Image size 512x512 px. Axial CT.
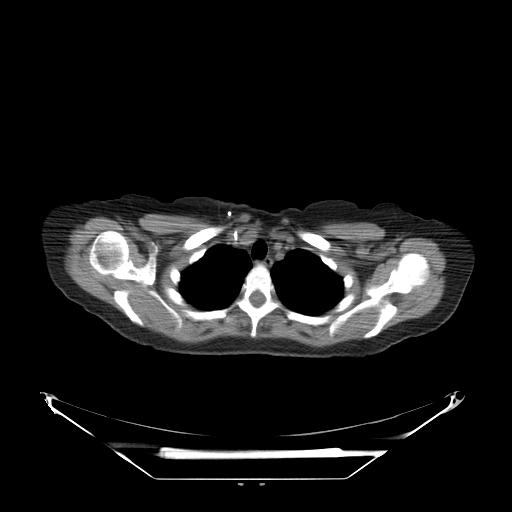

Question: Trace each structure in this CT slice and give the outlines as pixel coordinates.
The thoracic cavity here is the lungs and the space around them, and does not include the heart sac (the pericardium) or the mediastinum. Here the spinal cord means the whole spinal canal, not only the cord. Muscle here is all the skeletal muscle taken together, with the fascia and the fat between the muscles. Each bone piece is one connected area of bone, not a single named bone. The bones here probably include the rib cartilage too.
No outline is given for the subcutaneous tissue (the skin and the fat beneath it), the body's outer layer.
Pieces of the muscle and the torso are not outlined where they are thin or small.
Answer: Outlined structures:
left arm: 412 213; 423 218; 436 218; 439 220; 442 220; 451 223; 465 231; 472 240; 475 250; 475 262; 472 273; 467 283; 464 293; 454 296; 450 296; 449 297; 424 297; 423 296; 415 295; 407 291; 396 280; 391 268; 391 250; 399 229
thoracic cavity 1: 298 247; 306 248; 310 250; 314 254; 317 255; 321 261; 332 271; 342 277; 343 296; 333 307; 326 310; 320 315; 305 314; 290 309; 284 305; 277 295; 276 289; 271 277; 269 269; 273 263; 275 261; 281 259; 289 250
thoracic cavity 2: 219 242; 231 245; 236 248; 244 249; 248 253; 253 265; 245 275; 238 295; 229 305; 217 309; 209 310; 198 309; 197 307; 186 301; 182 294; 178 290; 179 288; 178 285; 181 279; 181 272; 189 265; 191 265; 199 260; 211 246
right arm: 69 198; 78 198; 79 199; 118 198; 128 207; 137 227; 139 235; 139 245; 134 260; 125 269; 110 275; 90 280; 69 280; 57 277; 49 273; 46 270; 39 233; 40 220; 45 209; 51 203; 60 199; 68 199
bones 1: 409 252; 427 259; 430 276; 408 293; 382 298; 380 306; 392 304; 397 311; 369 338; 363 335; 375 324; 378 306; 353 313; 331 336; 329 322; 290 320; 275 308; 258 321; 251 337; 251 319; 238 306; 227 313; 228 320; 194 320; 165 291; 176 289; 191 310; 222 309; 260 263; 285 309; 330 314; 333 320; 341 313; 332 309; 345 295; 354 294; 345 311; 368 299; 365 290; 384 283; inner edge: 255 291; 259 291; 264 296; 264 301; 263 302; 263 303; 262 303; 259 306; 255 306; 254 305; 253 305; 252 304; 252 303; 250 301; 250 296; 251 295; 251 294; 253 292; 254 292
bones 2: 107 230; 117 231; 125 237; 129 248; 129 258; 136 267; 141 267; 147 262; 150 243; 155 244; 157 247; 156 268; 155 279; 152 284; 143 285; 134 280; 118 279; 111 274; 102 275; 92 267; 89 262; 89 251; 92 242; 99 233
bones 3: 215 225; 217 225; 218 226; 222 226; 223 227; 223 230; 219 234; 214 236; 212 238; 204 242; 197 248; 195 248; 192 250; 186 250; 183 248; 183 245; 185 241; 192 234; 208 226; 214 226
bones 4: 116 290; 126 290; 128 291; 128 295; 127 296; 128 301; 131 307; 133 309; 133 310; 138 315; 140 319; 143 322; 143 326; 142 327; 132 322; 124 313; 124 312; 119 306; 119 305; 114 300; 113 298; 113 293; 114 291
bones 5: 300 230; 302 230; 303 231; 309 231; 310 232; 312 232; 313 233; 315 233; 316 234; 319 234; 321 235; 330 243; 330 248; 328 250; 324 252; 320 250; 318 248; 302 240; 297 235; 297 232
bones 6: 150 290; 155 291; 161 297; 161 298; 170 307; 171 307; 179 313; 179 314; 181 317; 181 326; 179 328; 178 328; 177 327; 177 322; 176 321; 175 318; 167 310; 167 309; 154 296; 151 295; 149 293; 149 291
bones 7: 202 248; 206 248; 206 250; 205 251; 205 252; 203 254; 203 255; 199 259; 198 259; 193 263; 192 263; 191 264; 189 264; 188 261; 189 260; 189 257; 191 255; 191 254; 194 251; 195 251; 196 250; 198 250; 199 249; 201 249
bones 8: 321 254; 323 254; 324 255; 325 255; 328 257; 330 257; 336 263; 336 264; 337 265; 337 267; 336 268; 336 270; 335 271; 334 271; 333 270; 332 270; 326 264; 325 264; 322 261; 322 260; 321 259; 321 258; 319 256
bones 9: 172 267; 175 267; 180 272; 180 279; 179 280; 179 282; 178 283; 178 284; 177 285; 175 285; 173 283; 173 282; 171 280; 171 278; 170 277; 170 270; 171 269; 171 268
bones 10: 347 274; 350 274; 352 276; 352 277; 353 278; 353 281; 352 282; 352 284; 351 285; 351 286; 348 289; 347 289; 346 290; 345 290; 344 289; 344 284; 343 283; 343 277; 345 275; 346 275
spinal cord: 255 291; 259 291; 264 296; 264 301; 263 302; 263 303; 262 303; 259 306; 255 306; 254 305; 253 305; 252 304; 252 303; 250 301; 250 296; 251 295; 251 294; 253 292; 254 292
torso: 126 193; 162 201; 207 195; 269 211; 331 198; 367 208; 394 202; 411 213; 390 250; 395 280; 419 297; 463 295; 451 317; 437 329; 360 358; 155 350; 124 338; 68 299; 48 275; 90 281; 121 272; 135 260; 138 227; 118 197
muscle 1: 241 212; 265 219; 287 216; 301 226; 371 222; 386 231; 431 238; 446 257; 443 296; 429 313; 381 331; 398 311; 392 303; 380 305; 383 298; 408 294; 429 280; 431 268; 423 254; 403 253; 384 282; 364 290; 368 298; 345 310; 355 299; 353 292; 344 295; 354 278; 350 273; 338 274; 338 265; 330 256; 272 238; 263 230; 243 230; 207 249; 194 250; 183 270; 172 266; 169 277; 178 288; 168 285; 164 291; 182 307; 183 315; 194 321; 228 321; 228 313; 238 307; 250 319; 250 337; 184 343; 154 332; 143 327; 128 290; 112 293; 122 313; 68 275; 63 251; 69 232; 78 222; 99 214; 214 219, around holes outlined by 107 230; 117 231; 125 237; 129 248; 129 258; 136 267; 141 267; 147 262; 150 243; 155 244; 157 247; 156 268; 155 279; 152 284; 143 285; 134 280; 118 279; 111 274; 102 275; 92 267; 89 262; 89 251; 92 242; 99 233 and by 215 225; 217 225; 218 226; 222 226; 223 227; 223 230; 219 234; 214 236; 212 238; 204 242; 197 248; 195 248; 192 250; 186 250; 183 248; 183 245; 185 241; 192 234; 208 226; 214 226 and by 300 230; 302 230; 303 231; 309 231; 310 232; 312 232; 313 233; 315 233; 316 234; 319 234; 321 235; 330 243; 330 248; 328 250; 324 252; 320 250; 318 248; 302 240; 297 235; 297 232 and by 150 290; 155 291; 161 297; 161 298; 170 307; 171 307; 179 313; 179 314; 181 317; 181 326; 179 328; 178 328; 177 327; 177 322; 176 321; 175 318; 167 310; 167 309; 154 296; 151 295; 149 293; 149 291
muscle 2: 373 307; 378 307; 377 317; 374 324; 362 335; 363 339; 354 339; 323 347; 314 347; 286 338; 255 338; 257 335; 259 321; 275 309; 282 309; 286 318; 290 321; 296 321; 312 326; 319 326; 329 323; 328 334; 331 337; 353 314
muscle 3: 330 309; 331 309; 331 312; 332 313; 340 313; 339 314; 338 314; 333 319; 332 319; 332 315; 330 313; 326 313; 325 314; 322 314; 323 314; 326 311; 327 311; 328 310; 329 310
mediastinum: 243 231; 263 231; 268 233; 272 239; 285 242; 288 244; 297 244; 299 246; 303 247; 298 246; 289 249; 281 258; 275 260; 271 266; 268 268; 263 263; 260 262; 253 264; 249 253; 244 248; 236 247; 222 241; 226 240; 230 236